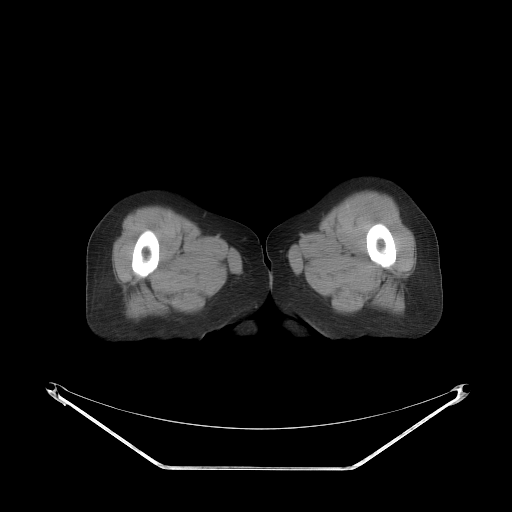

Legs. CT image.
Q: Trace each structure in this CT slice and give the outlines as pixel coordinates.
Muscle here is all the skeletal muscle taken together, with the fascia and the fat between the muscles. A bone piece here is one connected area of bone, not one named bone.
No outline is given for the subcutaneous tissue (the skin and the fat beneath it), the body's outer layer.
A: The left leg is outlined by (362, 173) (382, 175) (397, 182) (431, 222) (437, 236) (442, 275) (441, 319) (435, 329) (419, 339) (361, 337) (347, 342) (332, 340) (314, 331) (312, 337) (295, 339) (278, 325) (282, 315) (274, 305) (270, 262) (265, 254) (266, 237) (275, 226) (311, 205) (332, 185). The muscle appears in 2 outlined pieces: piece 1: (365, 189) (376, 190) (390, 195) (409, 220) (415, 235) (417, 256) (416, 266) (408, 296) (406, 299) (405, 312) (404, 315) (400, 318) (371, 311) (355, 313) (353, 315) (336, 314) (316, 299) (302, 286) (287, 261) (287, 251) (291, 241) (301, 230) (346, 196) (356, 191), around a hole outlined by (376, 223) (382, 223) (388, 228) (388, 229) (390, 231) (393, 237) (393, 239) (395, 243) (395, 247) (396, 248) (396, 258) (395, 259) (394, 263) (392, 264) (388, 268) (384, 268) (377, 263) (371, 260) (367, 252) (367, 249) (366, 248) (366, 234) (369, 228) (372, 225); piece 2: (146, 204) (153, 205) (157, 204) (174, 208) (201, 226) (203, 226) (225, 238) (239, 252) (241, 256) (244, 267) (241, 275) (205, 311) (195, 317) (183, 319) (154, 318) (139, 322) (128, 321) (125, 318) (114, 283) (111, 262) (112, 246) (116, 229) (127, 213) (137, 207); inner edge: (147, 229) (151, 230) (157, 237) (157, 239) (159, 243) (159, 260) (158, 261) (158, 264) (156, 268) (152, 272) (151, 272) (145, 277) (140, 277) (133, 271) (131, 266) (131, 262) (132, 261) (132, 252) (133, 251) (133, 248) (137, 238) (143, 231). The bones appear in 2 outlined pieces: piece 1: (376, 223) (382, 223) (388, 228) (388, 229) (390, 231) (393, 237) (393, 239) (395, 243) (395, 247) (396, 248) (396, 258) (395, 259) (394, 263) (392, 264) (388, 268) (384, 268) (377, 263) (371, 260) (367, 252) (367, 249) (366, 248) (366, 234) (369, 228) (372, 225); piece 2: (147, 229) (151, 230) (157, 237) (157, 239) (159, 243) (159, 260) (158, 261) (158, 264) (156, 268) (152, 272) (151, 272) (145, 277) (140, 277) (133, 271) (131, 266) (131, 262) (132, 261) (132, 252) (133, 251) (133, 248) (137, 238) (143, 231). The right leg is outlined by (147, 188) (179, 192) (208, 210) (245, 224) (257, 234) (271, 275) (273, 302) (269, 295) (255, 315) (261, 328) (256, 337) (236, 339) (229, 332) (231, 327) (226, 326) (206, 334) (196, 343) (182, 340) (107, 343) (89, 330) (85, 321) (86, 247) (89, 236) (116, 201).